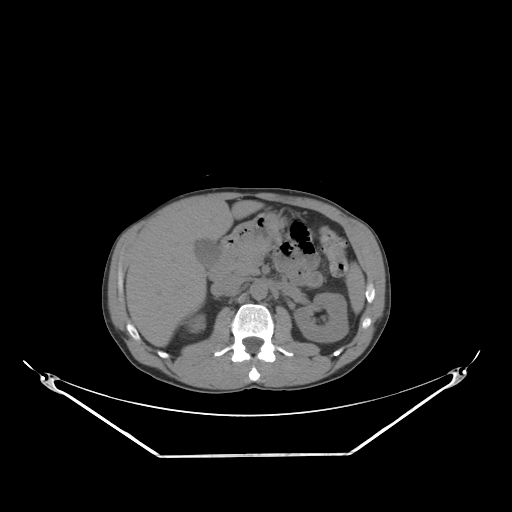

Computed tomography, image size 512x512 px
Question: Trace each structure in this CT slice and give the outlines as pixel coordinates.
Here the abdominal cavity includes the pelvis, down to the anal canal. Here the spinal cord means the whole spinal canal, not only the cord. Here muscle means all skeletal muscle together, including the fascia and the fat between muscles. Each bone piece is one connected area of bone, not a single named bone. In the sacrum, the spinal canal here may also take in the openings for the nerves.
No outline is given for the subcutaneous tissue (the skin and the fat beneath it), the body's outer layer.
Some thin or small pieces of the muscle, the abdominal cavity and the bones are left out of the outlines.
Answer: The abdominal cavity is outlined by [[245,197],[309,209],[343,228],[367,280],[367,302],[350,341],[322,353],[316,344],[293,338],[285,307],[278,305],[272,314],[256,302],[242,303],[235,312],[222,307],[209,336],[183,346],[177,355],[141,338],[124,299],[124,274],[140,234],[197,202]]. The torso is outlined by [[222,186],[282,187],[315,193],[362,218],[377,233],[385,250],[390,271],[390,315],[370,353],[341,378],[295,391],[252,388],[228,394],[192,392],[156,380],[137,369],[127,360],[111,337],[102,315],[101,284],[105,262],[117,235],[130,223],[174,196]]. The muscle is outlined by [[218,192],[274,193],[280,195],[310,198],[326,203],[336,208],[348,217],[357,220],[368,228],[378,245],[382,257],[385,272],[385,299],[384,300],[383,313],[380,319],[375,323],[375,330],[373,335],[366,348],[355,359],[339,368],[333,373],[318,380],[303,384],[286,385],[285,386],[267,386],[264,384],[255,382],[260,378],[260,373],[257,367],[254,364],[252,364],[248,371],[248,378],[252,382],[237,388],[213,389],[205,387],[198,387],[179,381],[157,368],[148,366],[139,362],[132,355],[122,337],[122,334],[114,326],[108,308],[108,297],[107,296],[108,277],[112,257],[117,243],[121,237],[130,228],[147,219],[165,206],[173,202],[191,196],[209,193],[217,193]], around holes outlined by [[245,197],[309,209],[343,228],[375,295],[372,302],[365,304],[355,334],[338,355],[322,353],[316,344],[294,339],[290,314],[281,305],[271,315],[271,341],[293,355],[275,350],[271,362],[232,361],[232,350],[214,355],[234,341],[231,321],[235,312],[228,306],[217,313],[208,337],[183,346],[177,355],[167,358],[129,334],[126,325],[131,320],[117,278],[119,266],[123,275],[130,264],[140,234],[197,202]] and by [[365,317],[369,317],[371,319],[371,323],[369,325],[369,326],[368,327],[367,327],[365,329],[364,329],[363,328],[362,328],[362,327],[361,326],[361,324],[362,323],[362,321],[364,319],[364,318]]. The bones appear in 6 outlined pieces: piece 1: [[245,303],[262,304],[270,311],[274,323],[271,341],[275,345],[292,352],[292,356],[287,356],[275,350],[275,359],[270,362],[259,359],[232,361],[232,350],[228,350],[219,356],[214,355],[215,351],[221,350],[234,341],[231,331],[231,321],[237,309]], around a hole outlined by [[248,337],[257,337],[258,338],[260,338],[263,341],[262,344],[259,347],[259,349],[256,352],[255,352],[254,353],[251,353],[250,352],[247,351],[247,350],[246,349],[246,347],[245,346],[245,345],[243,343],[243,339],[244,339],[245,338],[247,338]]; piece 2: [[368,282],[372,282],[373,284],[373,286],[374,287],[374,289],[375,290],[375,295],[374,296],[374,298],[372,302],[370,303],[369,303],[367,301],[366,299],[366,296],[365,295],[365,292],[366,291],[366,287],[367,286],[367,284]]; piece 3: [[128,322],[130,322],[132,324],[133,324],[133,325],[137,330],[137,331],[138,332],[138,333],[140,336],[140,338],[141,339],[139,341],[138,341],[137,340],[136,340],[135,339],[134,339],[129,334],[129,333],[128,332],[128,331],[126,328],[126,325]]; piece 4: [[120,265],[120,267],[121,268],[121,271],[122,272],[122,274],[123,275],[123,293],[122,294],[122,295],[121,294],[120,294],[119,293],[119,292],[118,291],[118,286],[117,285],[117,278],[118,277],[118,270],[119,269],[119,266]]; piece 5: [[252,365],[254,365],[256,367],[256,368],[257,369],[257,370],[258,371],[258,372],[259,373],[259,378],[256,381],[252,381],[249,378],[249,371],[250,370],[250,369],[251,368],[251,367],[252,366]]; piece 6: [[365,317],[369,317],[371,319],[371,323],[369,325],[369,326],[368,327],[367,327],[365,329],[364,329],[363,328],[362,328],[362,327],[361,326],[361,324],[362,323],[362,321],[364,319],[364,318]]. The spinal cord is outlined by [[248,337],[257,337],[258,338],[260,338],[263,341],[262,344],[259,347],[259,349],[256,352],[255,352],[254,353],[251,353],[250,352],[247,351],[247,350],[246,349],[246,347],[245,346],[245,345],[243,343],[243,339],[244,339],[245,338],[247,338]].